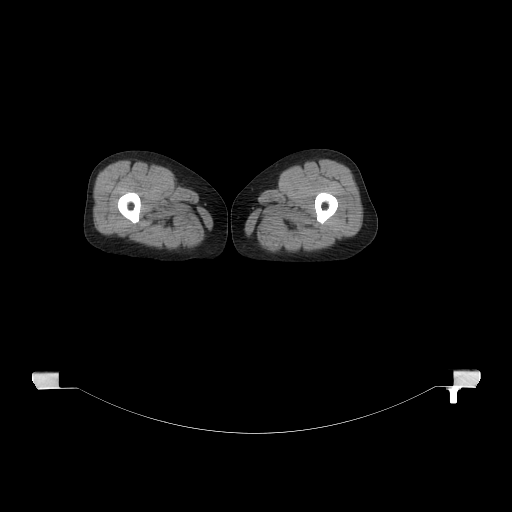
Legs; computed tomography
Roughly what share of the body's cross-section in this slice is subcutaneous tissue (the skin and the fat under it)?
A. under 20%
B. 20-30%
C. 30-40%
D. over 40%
Answer: C. 30-40%
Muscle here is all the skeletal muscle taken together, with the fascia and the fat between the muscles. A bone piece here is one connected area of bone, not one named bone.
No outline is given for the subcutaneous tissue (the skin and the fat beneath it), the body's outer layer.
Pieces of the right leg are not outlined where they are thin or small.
The right leg is outlined by 131 149; 150 150; 169 156; 199 174; 216 189; 225 202; 230 220; 226 245; 223 252; 218 257; 211 260; 187 260; 178 262; 158 261; 106 253; 88 243; 83 234; 82 223; 86 200; 86 189; 90 173; 95 165; 103 158; 119 151. The muscle appears in 2 outlined pieces: piece 1: 320 158; 335 160; 350 169; 363 207; 360 230; 353 237; 337 241; 331 247; 318 251; 301 250; 289 253; 283 249; 271 253; 264 250; 255 239; 247 237; 244 231; 248 216; 258 205; 257 197; 262 191; 275 188; 280 173; 286 168; inner edge: 319 192; 328 192; 332 194; 336 197; 337 199; 337 201; 338 202; 338 205; 337 206; 337 208; 335 212; 323 223; 320 223; 317 220; 316 218; 316 212; 314 208; 314 200; 315 199; 315 197; 316 195; piece 2: 123 159; 140 160; 149 164; 164 166; 172 171; 179 185; 189 188; 199 195; 199 203; 209 212; 213 220; 211 231; 206 234; 199 245; 191 249; 182 247; 177 250; 157 249; 126 239; 107 237; 96 230; 93 223; 95 179; 107 165 with a hole at 126 192; 136 192; 138 194; 140 198; 140 201; 141 202; 141 207; 140 208; 140 213; 139 214; 139 220; 136 223; 133 223; 130 220; 129 220; 123 215; 122 215; 122 214; 119 211; 118 209; 118 207; 117 206; 117 201; 119 197. The bones appear in 2 outlined pieces: piece 1: 126 192; 136 192; 138 194; 140 198; 140 201; 141 202; 141 207; 140 208; 140 213; 139 214; 139 220; 136 223; 133 223; 130 220; 129 220; 123 215; 122 215; 122 214; 119 211; 118 209; 118 207; 117 206; 117 201; 119 197; piece 2: 319 192; 328 192; 332 194; 336 197; 337 199; 337 201; 338 202; 338 205; 337 206; 337 208; 335 212; 323 223; 320 223; 317 220; 316 218; 316 212; 314 208; 314 200; 315 199; 315 197; 316 195. The left leg is outlined by 308 148; 334 149; 344 153; 356 163; 361 172; 367 191; 378 216; 378 229; 374 240; 362 251; 343 261; 317 263; 284 263; 256 261; 241 256; 233 245; 230 230; 231 220; 229 211; 231 209; 234 198; 254 176; 270 164; 289 153.